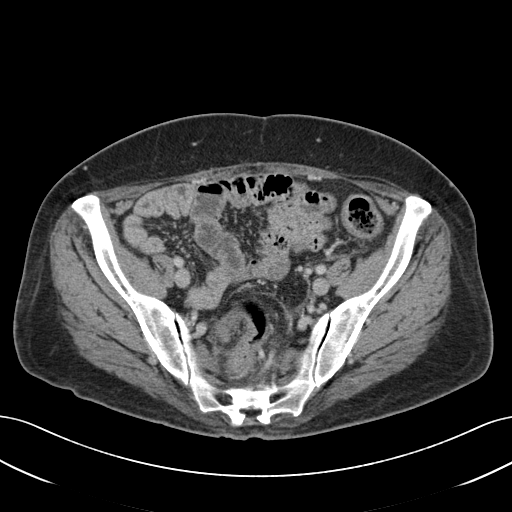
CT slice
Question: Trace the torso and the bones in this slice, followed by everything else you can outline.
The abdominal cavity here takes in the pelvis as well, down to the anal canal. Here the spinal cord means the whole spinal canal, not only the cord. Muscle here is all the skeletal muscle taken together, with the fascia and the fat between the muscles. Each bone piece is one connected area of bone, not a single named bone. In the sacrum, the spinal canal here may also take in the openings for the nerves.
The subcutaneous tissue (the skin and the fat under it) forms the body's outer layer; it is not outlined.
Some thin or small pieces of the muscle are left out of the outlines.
Answer: {"torso":[[[211,112],[303,113],[351,122],[407,144],[441,170],[464,195],[475,218],[478,259],[493,323],[493,354],[486,372],[442,397],[377,420],[298,438],[243,441],[186,432],[124,414],[25,371],[13,344],[13,313],[29,233],[49,189],[75,165],[133,132]]],"bones":[[[89,193],[124,275],[185,319],[201,374],[219,388],[291,380],[319,317],[380,275],[405,198],[420,196],[432,211],[405,270],[301,413],[266,424],[252,415],[258,410],[242,409],[247,418],[232,426],[221,411],[202,412],[159,362],[102,272],[70,207]]],"muscle":[[[69,204],[85,224],[97,265],[158,362],[190,389],[202,413],[221,412],[229,418],[229,424],[232,427],[240,427],[244,421],[249,416],[269,425],[274,415],[302,413],[344,365],[371,311],[406,270],[433,206],[451,233],[445,320],[414,362],[292,431],[262,426],[228,428],[206,424],[90,363],[57,321],[48,239]],[[244,161],[298,163],[338,172],[377,176],[420,195],[411,193],[404,198],[404,211],[390,253],[373,284],[367,290],[342,300],[336,294],[336,287],[328,278],[330,266],[342,256],[348,256],[352,269],[358,258],[368,256],[384,243],[395,218],[393,214],[385,212],[373,196],[357,184],[341,178],[313,179],[307,175],[289,171],[251,166],[222,176],[172,181],[152,187],[136,197],[121,213],[112,216],[115,219],[114,226],[119,241],[136,256],[145,258],[153,268],[155,267],[153,259],[158,255],[165,255],[171,260],[173,283],[167,288],[166,297],[162,300],[141,292],[132,285],[119,263],[101,211],[101,200],[96,194],[87,193],[132,181],[178,176],[209,167],[233,165]],[[194,344],[202,344],[204,348],[207,350],[210,356],[219,365],[218,374],[216,377],[220,381],[224,382],[225,385],[227,386],[227,387],[219,387],[211,383],[202,374],[202,372],[200,369],[200,366],[198,362],[198,356],[197,355],[197,352],[195,350]],[[303,347],[304,347],[301,351],[301,353],[297,360],[298,366],[295,375],[287,382],[282,384],[278,384],[275,381],[275,379],[278,377],[280,377],[282,375],[280,374],[280,371],[281,370],[282,357],[284,356],[285,352],[291,349],[299,349]]],"spinal_cord":[[[242,410],[244,410],[245,411],[250,411],[251,410],[252,411],[258,411],[258,412],[256,412],[255,413],[254,413],[253,414],[252,414],[251,415],[249,415],[247,413],[246,413],[245,412],[244,412],[243,411],[242,411]]],"abdominal_cavity":[[[251,167],[353,183],[394,218],[383,243],[352,268],[348,255],[329,266],[341,301],[318,317],[304,346],[284,352],[281,375],[269,385],[228,386],[164,301],[174,283],[170,257],[154,256],[153,267],[136,255],[113,216],[152,188]]]}